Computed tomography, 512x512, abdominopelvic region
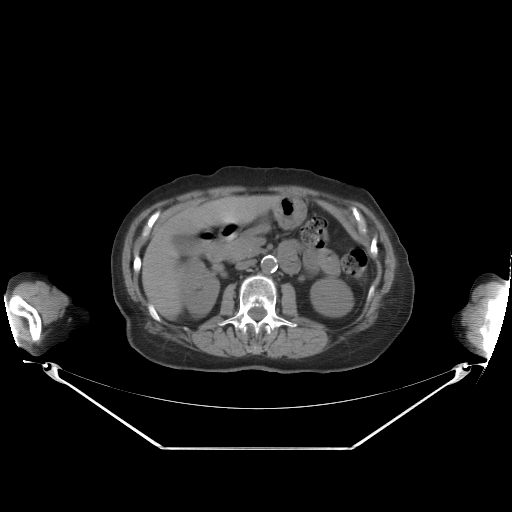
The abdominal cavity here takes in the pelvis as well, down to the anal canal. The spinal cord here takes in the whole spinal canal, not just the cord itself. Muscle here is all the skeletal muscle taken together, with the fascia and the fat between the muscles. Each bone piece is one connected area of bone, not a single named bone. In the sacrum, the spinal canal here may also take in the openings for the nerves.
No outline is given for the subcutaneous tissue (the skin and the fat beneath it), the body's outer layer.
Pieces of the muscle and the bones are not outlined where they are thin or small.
The bones appear in 7 outlined pieces: piece 1: [[256,274],[267,276],[273,280],[277,289],[275,312],[279,316],[296,323],[296,326],[281,325],[270,333],[267,333],[262,328],[256,335],[250,325],[247,326],[246,332],[243,333],[231,323],[218,324],[232,317],[238,311],[240,285],[246,277]] with a hole at [[253,307],[262,307],[265,310],[265,311],[266,312],[266,314],[260,320],[258,320],[257,321],[256,320],[255,320],[254,319],[253,319],[248,314],[248,311],[251,308],[252,308]]; piece 2: [[17,295],[18,296],[20,296],[27,304],[35,308],[40,317],[40,320],[41,321],[40,323],[40,336],[37,339],[34,339],[31,334],[28,319],[26,317],[21,316],[18,314],[16,314],[12,312],[11,310],[11,308],[9,305],[10,304],[10,299]]; piece 3: [[493,299],[497,300],[503,305],[503,310],[501,312],[499,316],[499,318],[497,321],[497,323],[494,330],[490,334],[485,336],[482,334],[481,332],[481,329],[484,324],[484,322],[487,315],[487,312],[488,311],[488,302],[490,300],[492,300]]; piece 4: [[157,210],[159,210],[160,211],[160,214],[159,215],[159,216],[154,222],[154,223],[153,224],[148,235],[145,238],[142,237],[142,236],[141,235],[141,233],[142,232],[142,229],[143,228],[144,225],[146,223],[148,218],[155,211],[156,211]]; piece 5: [[353,206],[356,207],[356,208],[360,212],[362,217],[365,221],[365,224],[366,225],[366,232],[365,233],[361,233],[358,230],[358,226],[357,225],[357,222],[355,219],[355,217],[353,215],[353,213],[352,212],[352,210],[351,209],[351,207],[352,207]]; piece 6: [[375,235],[376,235],[376,236],[377,237],[377,248],[378,249],[378,252],[377,253],[377,255],[376,256],[376,257],[373,257],[372,256],[372,254],[370,252],[370,244],[371,243],[371,240],[372,239],[372,238]]; piece 7: [[149,303],[150,303],[153,305],[153,306],[154,307],[155,310],[157,312],[158,315],[160,317],[160,318],[161,319],[161,320],[160,321],[158,321],[157,320],[154,319],[150,315],[150,313],[148,310],[148,304]]. The right arm is outlined by [[21,271],[41,271],[47,273],[51,280],[57,286],[73,294],[72,300],[76,305],[84,306],[90,312],[90,318],[87,323],[71,331],[66,340],[56,344],[39,356],[34,356],[20,347],[17,327],[12,318],[7,303],[6,291],[9,283],[9,278]]. The spinal cord is outlined by [[253,307],[262,307],[265,310],[265,311],[266,312],[266,314],[260,320],[258,320],[257,321],[256,320],[255,320],[254,319],[253,319],[248,314],[248,311],[251,308],[252,308]]. The torso is outlined by [[230,164],[307,168],[361,186],[373,196],[406,249],[415,284],[408,322],[390,347],[374,361],[326,373],[279,373],[257,369],[204,372],[157,364],[129,345],[124,318],[113,298],[110,277],[111,248],[121,221],[133,205],[156,186],[180,175],[208,174]]. The abdominal cavity is outlined by [[247,191],[310,198],[369,249],[376,275],[357,317],[344,325],[328,327],[302,316],[291,283],[281,283],[279,294],[271,277],[256,273],[241,281],[237,293],[235,282],[226,285],[217,314],[194,329],[161,318],[139,285],[140,252],[155,222],[174,202]]. The muscle appears in 3 outlined pieces: piece 1: [[228,185],[247,187],[297,185],[343,198],[353,199],[370,209],[383,225],[391,242],[396,259],[392,285],[383,297],[382,304],[378,309],[378,315],[374,323],[366,329],[352,334],[346,340],[318,354],[298,359],[289,359],[285,357],[270,358],[256,354],[248,354],[241,357],[220,357],[193,350],[148,332],[144,327],[146,317],[138,304],[133,301],[128,294],[122,272],[124,240],[132,221],[144,209],[160,200],[193,190]]; inner edges: [[247,191],[310,198],[368,249],[376,235],[374,291],[357,317],[328,327],[300,315],[289,282],[279,285],[275,312],[297,325],[270,333],[218,324],[238,311],[235,282],[223,289],[217,314],[194,329],[150,315],[133,269],[148,218],[174,202]], then [[353,206],[356,207],[356,208],[360,212],[362,217],[365,221],[365,224],[366,225],[366,232],[365,233],[361,233],[358,230],[358,226],[357,225],[357,222],[355,219],[355,217],[353,215],[353,213],[352,212],[352,210],[351,209],[351,207],[352,207]]; piece 2: [[35,280],[45,282],[68,298],[63,316],[51,324],[51,329],[39,344],[29,342],[18,333],[8,306],[8,302],[9,301],[8,305],[10,308],[11,312],[27,319],[30,334],[34,340],[37,340],[41,336],[42,321],[39,313],[20,295],[12,297],[16,285],[22,281]]; piece 3: [[489,281],[495,281],[502,285],[494,298],[489,299],[487,302],[486,315],[480,329],[481,333],[480,337],[482,345],[481,347],[479,347],[474,345],[468,340],[465,332],[466,328],[461,324],[461,315],[462,312],[472,303],[472,293],[474,289],[478,285]]. The left arm is outlined by [[484,272],[494,272],[499,275],[504,282],[494,297],[503,305],[503,310],[496,326],[490,334],[486,336],[480,334],[482,342],[480,348],[483,349],[485,353],[485,356],[483,357],[471,353],[456,339],[452,331],[451,319],[467,302],[469,290],[473,281]].